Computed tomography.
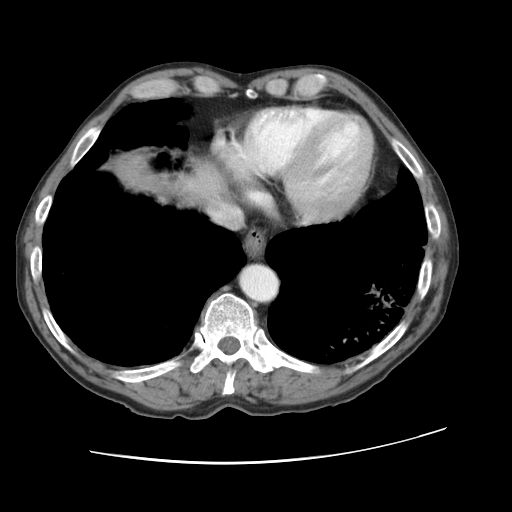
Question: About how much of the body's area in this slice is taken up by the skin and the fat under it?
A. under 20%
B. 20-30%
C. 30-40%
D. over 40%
Answer: A. under 20%
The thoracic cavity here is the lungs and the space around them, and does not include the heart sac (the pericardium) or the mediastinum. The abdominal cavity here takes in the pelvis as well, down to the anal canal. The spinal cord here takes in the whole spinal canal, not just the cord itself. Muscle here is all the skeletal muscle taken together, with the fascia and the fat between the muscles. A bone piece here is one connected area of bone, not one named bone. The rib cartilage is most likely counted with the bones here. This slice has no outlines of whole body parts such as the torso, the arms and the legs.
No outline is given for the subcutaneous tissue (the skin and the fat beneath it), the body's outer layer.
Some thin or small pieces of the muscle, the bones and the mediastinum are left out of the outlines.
The spinal cord is outlined by 225,337 233,337 234,338 237,339 239,342 239,347 238,348 238,349 236,351 235,351 233,353 232,353 231,354 228,354 227,353 225,353 218,346 218,344 219,343 220,340 221,339 222,339. The muscle is outlined by 193,66 239,84 286,69 335,72 392,121 431,176 449,229 440,308 408,348 344,392 288,405 232,394 237,371 232,365 239,359 263,374 280,367 318,374 319,365 351,362 368,352 344,369 355,372 403,336 409,322 402,318 415,292 421,301 431,284 433,261 424,246 428,234 439,238 441,220 431,201 423,203 416,180 424,177 421,165 396,137 386,139 349,96 319,93 329,82 320,72 305,73 291,85 272,78 265,92 247,87 236,96 221,95 220,83 203,74 190,83 199,94 172,77 142,81 129,91 135,99 79,137 71,169 34,211 34,222 42,226 41,246 32,248 29,270 35,283 42,277 49,308 41,314 65,349 76,354 70,340 88,356 124,368 111,376 126,383 161,376 197,351 188,367 193,374 213,359 226,365 221,396 190,408 158,410 101,387 58,355 31,315 22,237 47,178 82,128 126,85 158,70. The mediastinum appears in 2 outlined pieces: piece 1: 218,200 237,202 248,212 277,226 301,226 277,233 266,244 265,259 280,280 279,292 268,308 266,323 258,322 250,304 232,292 223,292 206,304 209,296 227,283 246,263 241,242 235,233 200,215 204,205; piece 2: 260,93 295,100 317,94 349,97 363,109 401,161 395,187 361,207 353,217 347,216 374,179 379,148 375,129 370,120 358,109 339,102 262,102 224,115 213,129 204,156 189,142 189,130 172,124 189,113 177,96 220,94 255,99. The thoracic cavity appears in 2 outlined pieces: piece 1: 170,97 188,108 171,124 189,132 178,165 156,167 159,151 143,144 113,152 97,170 126,190 193,210 232,231 245,263 208,296 185,350 123,367 88,355 56,321 42,276 43,225 60,181 107,121 129,103; piece 2: 402,162 416,181 428,233 415,291 401,319 379,342 351,361 317,364 285,352 269,339 258,323 267,323 269,308 281,286 277,272 269,265 265,256 268,242 288,229 353,218 361,208 379,200 396,187. The pericardium is outlined by 272,102 339,103 361,112 373,126 378,148 373,179 366,192 342,219 297,226 277,225 243,207 237,201 237,198 232,191 228,188 228,184 223,173 207,157 208,144 212,138 216,125 222,117 239,112 248,107. The abdominal cavity is outlined by 188,142 195,144 203,156 222,173 227,188 236,198 236,201 218,199 208,202 199,213 193,209 178,210 149,194 126,189 120,186 112,175 98,170 113,153 143,145 150,145 158,151 153,163 156,168 178,166. The bones appear in 12 outlined pieces: piece 1: 223,293 245,300 268,339 285,353 318,365 318,373 285,366 263,373 239,358 231,365 234,391 222,395 227,365 213,358 193,373 195,350 180,366 152,378 126,382 112,376 114,370 151,366 185,351 206,305 with a hole at 225,337 233,337 234,338 237,339 239,342 239,347 238,348 238,349 236,351 235,351 233,353 232,353 231,354 228,354 227,353 225,353 218,346 218,344 219,343 220,340 221,339 222,339; piece 2: 313,73 323,74 327,77 328,82 323,89 319,90 318,93 310,98 301,98 300,99 293,98 290,86 286,94 283,96 274,96 265,91 266,83 272,79 277,78 286,79 291,86 301,76 305,74 312,74; piece 3: 157,78 172,78 175,79 182,86 187,88 189,91 187,94 181,94 176,96 170,96 169,97 163,97 162,98 152,98 145,100 143,99 136,99 132,97 130,93 131,89 134,86 142,82 151,79 156,79; piece 4: 401,320 405,320 407,321 408,322 408,326 402,336 391,347 386,350 382,354 367,364 357,369 355,371 351,373 345,373 345,369 346,368 348,367 352,367 363,360 369,353 369,351 371,348 379,343 400,322; piece 5: 99,125 103,126 103,127 96,140 91,146 91,147 82,156 82,157 74,165 74,166 72,168 71,168 70,167 69,162 70,161 70,158 71,157 72,152 78,140 89,128 93,127 94,126 98,126; piece 6: 391,137 394,137 400,142 401,142 413,155 415,159 420,165 423,171 423,177 422,178 420,179 416,179 409,170 409,169 407,167 406,167 406,166 403,163 400,158 392,149 388,141 389,140 389,138; piece 7: 196,75 203,75 204,76 208,76 216,80 219,83 220,85 220,87 222,90 221,92 219,92 211,96 204,96 203,95 200,95 200,94 197,91 193,89 192,87 192,85 191,84 193,77; piece 8: 425,256 428,256 432,261 432,272 431,273 431,280 430,281 430,284 429,285 428,290 424,297 421,300 420,300 419,299 419,295 416,291 416,287 417,286 417,283 418,282 418,279 419,278 420,268; piece 9: 43,308 47,308 49,309 55,321 57,323 57,324 59,326 61,330 67,336 67,337 69,339 69,343 75,351 75,354 70,352 66,348 65,348 53,335 53,334 49,329 43,317 43,315 42,314 42,309; piece 10: 425,202 431,202 436,208 436,209 437,210 437,212 439,215 439,219 440,220 440,233 439,234 439,236 437,239 434,239 428,232 428,228 427,227 427,223 426,222 426,218 425,217 425,212 424,211 424,203; piece 11: 35,246 40,246 41,247 41,249 42,250 42,272 41,273 41,278 40,278 37,281 37,282 35,282 33,280 33,278 32,277 32,275 31,274 31,271 30,270 30,255 31,254 31,252 32,251 33,248; piece 12: 49,194 50,194 53,197 52,198 52,203 50,206 50,208 48,211 47,216 46,217 43,224 42,225 38,225 35,222 35,219 34,218 36,208 37,207 38,204 41,201 41,200 45,196 46,196.